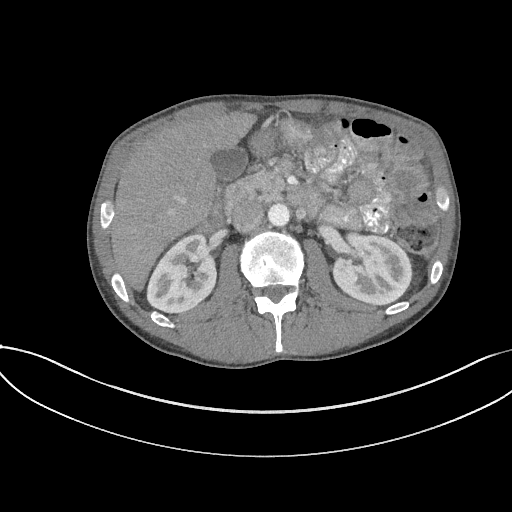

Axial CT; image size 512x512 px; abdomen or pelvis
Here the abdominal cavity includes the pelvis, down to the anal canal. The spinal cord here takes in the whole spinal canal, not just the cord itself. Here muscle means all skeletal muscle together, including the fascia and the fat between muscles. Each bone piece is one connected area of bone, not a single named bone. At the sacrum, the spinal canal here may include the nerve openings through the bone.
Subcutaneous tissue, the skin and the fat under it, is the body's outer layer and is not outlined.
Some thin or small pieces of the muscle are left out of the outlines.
Outlined structures:
bones 1: 278 353; 283 349; 281 344; 282 316; 286 312; 296 308; 299 279; 304 268; 304 253; 300 244; 289 234; 268 230; 258 233; 244 242; 239 256; 239 267; 252 287; 253 299; 258 312; 261 314; 269 312; 273 315; 276 330; 275 351; inner edge: 274 302; 277 302; 279 301; 279 300; 289 291; 289 288; 286 286; 283 286; 282 285; 275 285; 274 286; 272 286; 270 285; 269 286; 267 286; 263 288; 262 289; 262 294; 263 295; 265 295; 267 296
bones 2: 103 229; 105 229; 108 227; 108 226; 109 225; 109 224; 113 217; 113 215; 114 214; 114 212; 113 211; 113 202; 111 199; 107 199; 106 200; 105 200; 101 204; 101 205; 100 206; 100 217; 99 218; 99 220; 100 221; 100 226
bones 3: 125 302; 129 302; 129 298; 128 297; 128 295; 126 291; 125 284; 119 272; 117 272; 116 271; 114 272; 111 276; 111 285; 115 293; 122 300; 123 300
bones 4: 443 211; 446 211; 449 207; 449 197; 448 196; 448 195; 447 194; 447 192; 444 188; 444 187; 442 185; 439 185; 436 187; 436 189; 435 190; 435 193; 436 194; 436 201; 437 202; 437 204; 440 208; 440 209; 441 209
bones 5: 171 328; 173 328; 175 327; 175 324; 173 322; 172 322; 166 316; 156 311; 152 311; 150 313; 150 316; 152 320; 155 323; 161 326; 166 326; 167 327; 170 327
bones 6: 432 284; 434 284; 438 281; 438 280; 440 278; 440 276; 442 272; 442 269; 443 268; 443 266; 442 265; 442 263; 441 261; 438 259; 436 259; 433 264; 433 267; 432 268; 432 270; 431 271; 431 274; 429 278; 430 280; 430 282
bones 7: 386 314; 394 314; 395 313; 400 312; 401 311; 406 309; 408 307; 408 306; 409 305; 409 302; 405 302; 404 301; 400 301; 399 302; 397 302; 394 304; 392 304; 390 306; 387 307; 385 309; 385 310; 384 311; 384 313; 385 313
spinal cord: 274 302; 277 302; 279 301; 279 300; 289 291; 289 288; 286 286; 283 286; 282 285; 275 285; 274 286; 272 286; 270 285; 269 286; 267 286; 263 288; 262 289; 262 294; 263 295; 265 295; 267 296
abdominal cavity: 167 316; 211 296; 228 243; 242 246; 268 229; 287 232; 301 245; 305 238; 315 239; 342 293; 385 308; 410 300; 429 277; 439 237; 439 208; 425 149; 399 129; 366 117; 276 106; 183 121; 153 132; 116 177; 110 245; 136 301
torso: 227 369; 251 368; 279 360; 320 361; 350 355; 395 339; 437 305; 453 275; 461 213; 447 150; 430 123; 389 105; 340 94; 216 93; 182 100; 149 114; 112 140; 100 167; 86 221; 88 261; 99 294; 114 317; 148 345; 202 365
muscle: 226 363; 245 363; 269 358; 276 355; 287 354; 288 355; 318 355; 331 353; 340 349; 355 346; 409 318; 431 300; 437 292; 446 274; 446 269; 449 257; 451 254; 451 245; 455 228; 455 204; 453 190; 441 148; 435 136; 428 129; 410 120; 388 112; 339 101; 330 101; 320 99; 297 99; 263 102; 245 100; 229 100; 228 101; 218 100; 202 102; 187 106; 170 114; 160 117; 134 130; 121 139; 114 146; 109 156; 94 206; 92 220; 92 236; 94 252; 101 268; 101 272; 105 279; 105 282; 108 286; 109 292; 115 301; 115 304; 135 325; 152 336; 158 337; 165 342; 169 342; 180 347; 184 351; 190 352; 202 358, around a hole outlined by 278 353; 282 316; 296 308; 305 238; 320 244; 338 290; 386 314; 406 309; 428 279; 440 278; 438 209; 448 209; 449 197; 442 185; 433 189; 425 149; 399 129; 362 116; 263 106; 157 130; 121 166; 114 201; 101 204; 99 218; 103 229; 111 226; 120 269; 111 276; 115 293; 129 302; 125 280; 152 320; 173 328; 167 317; 211 296; 221 251; 238 243; 240 271; 257 310; 273 315